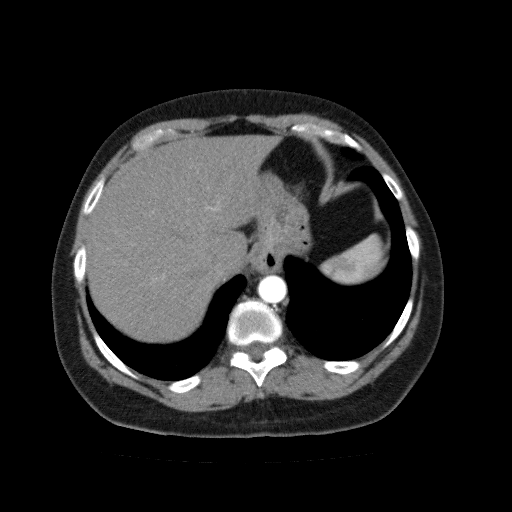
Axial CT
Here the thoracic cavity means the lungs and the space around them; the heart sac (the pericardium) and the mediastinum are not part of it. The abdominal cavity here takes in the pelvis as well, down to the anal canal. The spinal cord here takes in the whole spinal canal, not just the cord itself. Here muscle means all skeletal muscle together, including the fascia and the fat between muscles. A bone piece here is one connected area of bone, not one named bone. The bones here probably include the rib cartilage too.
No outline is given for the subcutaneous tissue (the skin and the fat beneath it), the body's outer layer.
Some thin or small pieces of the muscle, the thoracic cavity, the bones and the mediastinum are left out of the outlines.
{"mediastinum":[[[282,265],[289,294],[289,301],[284,318],[290,331],[289,335],[284,333],[284,324],[275,310],[263,301],[258,299],[249,298],[235,304],[238,296],[246,286],[247,280],[244,275],[246,272],[249,271],[256,275],[270,275],[276,272]],[[323,139],[332,144],[337,144],[338,145],[346,146],[343,147],[341,149],[341,152],[345,156],[347,156],[356,160],[363,161],[364,163],[354,168],[349,174],[345,177],[342,177],[338,175],[338,168],[336,165],[335,156],[330,149],[328,148],[324,143]]],"muscle":[[[296,113],[329,119],[346,132],[307,121],[291,125],[289,129],[295,133],[283,134],[243,118],[194,132],[178,133],[172,127],[157,127],[132,142],[131,147],[138,151],[107,179],[102,175],[96,181],[82,207],[82,212],[89,215],[85,245],[79,246],[72,262],[75,280],[84,281],[85,301],[95,328],[91,332],[94,343],[105,359],[122,373],[138,379],[131,368],[148,377],[169,381],[167,389],[178,394],[201,382],[198,372],[212,360],[225,339],[234,347],[228,364],[246,371],[259,388],[267,374],[288,359],[278,343],[283,334],[291,335],[322,359],[325,370],[341,375],[356,371],[361,365],[356,359],[384,340],[384,348],[390,345],[403,331],[413,309],[412,259],[419,258],[420,255],[420,244],[416,231],[404,223],[398,202],[403,198],[401,188],[360,153],[361,144],[349,134],[355,133],[396,174],[418,224],[424,289],[419,321],[409,345],[373,381],[333,399],[301,400],[270,395],[220,410],[184,411],[107,381],[81,353],[72,280],[70,251],[81,203],[91,183],[124,144],[153,123],[228,114]]],"spinal_cord":[[[254,341],[258,341],[259,342],[264,343],[268,346],[267,347],[267,349],[266,349],[263,352],[263,353],[262,354],[262,358],[259,360],[253,360],[251,358],[251,357],[244,350],[245,349],[245,347],[246,346],[247,346],[249,344],[250,344]]],"thoracic_cavity":[[[345,147],[379,172],[397,200],[411,257],[411,283],[399,317],[381,342],[356,358],[328,360],[291,334],[285,318],[290,301],[285,258],[301,260],[334,284],[354,287],[377,278],[392,249],[390,223],[376,194],[365,181],[348,178],[365,163],[345,155]],[[239,274],[244,276],[246,283],[237,296],[228,315],[224,340],[217,348],[211,360],[203,368],[188,377],[172,381],[148,376],[128,366],[120,359],[96,330],[86,301],[87,290],[97,311],[123,336],[143,344],[169,345],[187,339],[200,328],[216,292]]],"bones":[{"outer":[[249,299],[261,301],[272,308],[283,324],[283,333],[277,343],[285,352],[287,359],[283,364],[273,367],[266,374],[260,387],[256,384],[252,376],[246,370],[231,366],[229,364],[231,356],[235,349],[235,347],[226,338],[226,329],[229,315],[235,305]],"hole":[[254,341],[258,341],[259,342],[264,343],[268,346],[267,347],[267,349],[266,349],[263,352],[263,353],[262,354],[262,358],[259,360],[253,360],[251,358],[251,357],[244,350],[245,349],[245,347],[246,346],[247,346],[249,344],[250,344]]},[[307,122],[313,123],[324,128],[328,128],[338,132],[347,133],[360,144],[361,150],[358,151],[352,147],[343,144],[332,143],[327,141],[323,138],[317,136],[311,136],[310,137],[292,131],[290,129],[291,126],[295,124],[300,124],[301,123],[306,123]],[[93,330],[95,330],[97,332],[102,340],[113,352],[113,353],[120,360],[129,367],[131,371],[135,374],[138,378],[136,379],[135,378],[133,378],[129,375],[122,372],[111,364],[106,359],[99,350],[95,343],[95,341],[93,337],[93,334],[92,333]],[[157,128],[161,128],[162,129],[172,128],[176,131],[176,133],[174,133],[173,134],[168,134],[166,133],[160,137],[159,139],[158,139],[155,142],[152,143],[151,145],[149,145],[143,149],[136,150],[132,147],[132,144],[133,142],[141,135],[151,132]],[[409,297],[412,297],[413,299],[413,305],[412,306],[412,309],[411,310],[409,318],[405,326],[403,328],[402,331],[399,334],[399,335],[390,344],[384,347],[383,346],[383,344],[386,338],[392,331],[394,326],[396,324],[398,319],[400,317]],[[353,359],[357,360],[360,363],[359,367],[356,370],[349,373],[346,373],[345,374],[341,374],[340,373],[336,373],[335,372],[331,372],[330,371],[328,371],[325,369],[323,366],[323,361],[324,360],[327,360],[328,361],[346,361],[347,360],[352,360]],[[197,373],[200,376],[200,378],[201,380],[200,382],[195,387],[185,392],[181,392],[180,393],[178,393],[177,392],[174,392],[168,389],[167,387],[168,385],[171,382],[173,381],[177,381],[178,380],[181,380],[182,379],[185,379],[186,378],[188,378]],[[102,176],[104,176],[105,177],[105,182],[104,183],[104,185],[103,186],[102,191],[93,209],[91,211],[91,212],[89,214],[85,214],[83,212],[83,207],[86,201],[86,199],[88,195],[92,190],[93,187],[97,182],[97,181]],[[81,245],[84,245],[85,246],[85,271],[84,272],[84,277],[83,278],[83,280],[81,282],[78,282],[76,280],[76,279],[75,278],[75,276],[74,275],[74,269],[73,268],[73,262],[74,261],[74,257],[76,254],[76,252]],[[406,225],[410,226],[415,231],[417,238],[418,239],[418,243],[419,244],[419,255],[418,256],[418,258],[416,260],[412,258],[410,251],[409,250],[409,247],[408,246],[408,243],[407,242],[406,232],[405,231],[405,226]],[[381,173],[386,173],[388,175],[389,175],[395,181],[395,182],[398,185],[398,186],[400,188],[400,189],[402,192],[402,198],[401,199],[398,200],[395,197],[395,196],[390,190],[390,189],[388,187],[387,184],[385,182],[385,181],[384,180]]],"abdominal_cavity":[[[241,119],[283,135],[322,139],[334,156],[337,175],[371,188],[391,232],[385,269],[363,284],[342,286],[288,255],[270,274],[248,270],[224,283],[199,328],[183,340],[151,344],[123,335],[95,307],[84,280],[88,222],[106,180],[160,138],[203,132]]],"torso":[[[226,88],[302,92],[353,110],[385,140],[431,219],[444,276],[441,332],[411,390],[393,411],[373,423],[329,434],[289,437],[152,433],[113,424],[99,415],[76,391],[61,364],[53,330],[52,265],[65,216],[91,158],[106,137],[134,114],[179,96]]]}